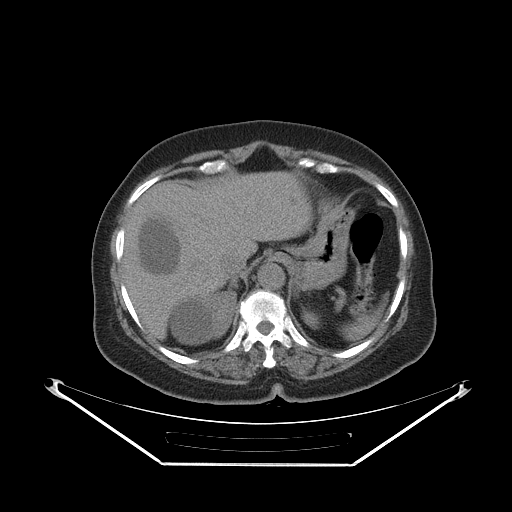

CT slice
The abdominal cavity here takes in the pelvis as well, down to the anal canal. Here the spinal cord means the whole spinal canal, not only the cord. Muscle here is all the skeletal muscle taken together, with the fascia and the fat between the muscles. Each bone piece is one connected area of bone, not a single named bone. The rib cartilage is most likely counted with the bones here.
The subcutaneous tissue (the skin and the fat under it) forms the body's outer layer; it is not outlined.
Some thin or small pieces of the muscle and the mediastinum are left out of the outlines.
{"spinal_cord":[[[263,321],[267,321],[268,322],[269,322],[270,323],[271,323],[272,324],[272,328],[270,330],[270,331],[267,334],[263,334],[262,333],[261,333],[257,329],[257,326],[259,324],[259,323],[260,323],[261,322],[262,322]]],"muscle":[[[256,140],[318,150],[370,170],[390,186],[409,220],[414,256],[407,319],[400,330],[365,358],[332,375],[305,381],[273,368],[277,363],[273,343],[277,341],[289,349],[293,342],[305,348],[313,342],[321,348],[337,350],[331,355],[338,359],[353,357],[364,350],[375,340],[372,335],[391,318],[402,299],[406,279],[400,278],[399,272],[401,258],[407,257],[408,239],[404,229],[398,226],[390,205],[396,208],[397,198],[387,187],[376,181],[372,185],[357,175],[344,172],[350,171],[349,168],[328,161],[318,162],[303,156],[292,165],[270,148],[261,147],[232,165],[217,158],[199,164],[198,171],[163,178],[157,174],[142,182],[126,202],[131,207],[125,227],[116,232],[114,248],[116,260],[121,260],[120,293],[133,321],[160,344],[156,348],[161,353],[184,365],[199,361],[189,356],[224,345],[224,353],[241,345],[243,351],[248,352],[259,342],[264,351],[262,366],[265,368],[248,383],[219,383],[180,372],[126,335],[117,318],[110,278],[110,240],[113,221],[134,187],[157,168],[191,154],[234,148]]],"abdominal_cavity":[[[261,148],[288,165],[309,169],[335,190],[371,188],[390,204],[400,262],[384,321],[351,347],[317,345],[288,313],[286,268],[264,259],[249,276],[239,320],[227,343],[188,356],[169,349],[146,331],[124,283],[124,234],[132,205],[164,178],[221,172]]],"mediastinum":[[[264,260],[275,260],[281,263],[285,268],[285,271],[287,274],[287,287],[285,290],[285,297],[284,298],[276,292],[263,288],[255,289],[251,291],[246,296],[246,291],[248,287],[248,282],[250,279],[250,276],[252,274],[254,268],[258,264],[263,262]],[[310,169],[320,174],[333,174],[334,173],[339,173],[340,172],[352,174],[359,177],[362,180],[373,186],[383,196],[383,197],[371,187],[360,187],[356,189],[335,189],[329,186],[327,183],[322,181],[322,180],[318,177],[316,177],[313,175]]],"torso":[[[255,119],[322,126],[363,142],[392,168],[419,210],[432,254],[435,334],[418,360],[371,388],[307,403],[290,403],[277,395],[267,403],[256,405],[196,403],[144,385],[114,367],[96,345],[92,244],[101,213],[115,189],[138,158],[159,141],[197,127]]],"bones":[{"outer":[[258,289],[271,291],[283,299],[295,327],[310,344],[309,347],[305,347],[293,341],[287,348],[275,340],[272,343],[272,356],[276,363],[272,368],[263,366],[265,351],[259,341],[248,351],[244,351],[241,344],[228,352],[223,351],[237,329],[240,302]],"hole":[[263,321],[267,321],[268,322],[269,322],[270,323],[271,323],[272,324],[272,328],[270,330],[270,331],[267,334],[263,334],[262,333],[261,333],[257,329],[257,326],[259,324],[259,323],[260,323],[261,322],[262,322]]},[[303,157],[313,159],[318,163],[328,162],[334,165],[336,165],[341,168],[349,169],[350,170],[343,170],[339,172],[334,172],[333,173],[320,173],[316,171],[314,167],[307,168],[306,167],[298,166],[297,165],[298,160],[300,158],[302,158]],[[217,159],[222,159],[223,160],[225,160],[227,162],[229,167],[228,167],[221,171],[218,171],[217,172],[214,172],[213,173],[205,173],[202,171],[199,171],[197,169],[197,167],[202,163],[203,163],[206,161],[211,161],[212,160],[216,160]],[[371,336],[374,338],[374,340],[364,349],[363,349],[361,351],[360,351],[353,356],[351,356],[350,357],[346,357],[345,358],[338,358],[332,355],[333,353],[335,353],[339,351],[342,351],[343,350],[351,348],[361,343],[363,341],[364,341]],[[158,345],[161,345],[167,348],[169,350],[171,350],[181,355],[187,356],[188,357],[194,358],[195,359],[198,359],[198,361],[196,363],[191,363],[190,364],[184,364],[183,363],[177,362],[166,356],[162,352],[161,352],[157,348],[157,346]],[[402,277],[404,277],[405,279],[405,283],[404,284],[404,290],[403,291],[401,299],[399,302],[398,306],[396,308],[393,314],[387,321],[385,321],[385,319],[389,312],[389,308],[390,307],[390,305],[394,298],[395,292],[398,286],[398,283],[400,279]],[[157,175],[160,175],[161,176],[161,178],[159,180],[153,183],[147,189],[146,189],[137,198],[137,199],[136,199],[135,201],[133,202],[133,203],[131,205],[128,206],[127,205],[127,202],[130,196],[132,194],[132,193],[142,183],[143,183],[145,181]],[[122,283],[123,283],[125,286],[125,288],[127,291],[127,294],[133,306],[133,308],[135,311],[135,313],[137,315],[137,317],[140,323],[142,325],[144,330],[142,330],[134,321],[125,304],[125,302],[123,299],[123,297],[121,293],[121,284]],[[376,182],[377,183],[379,183],[380,184],[381,184],[383,186],[384,186],[386,188],[387,188],[393,194],[393,195],[396,198],[396,200],[397,201],[397,206],[396,207],[393,206],[384,197],[384,196],[375,187],[375,186],[374,185],[374,183],[375,183]],[[121,228],[123,228],[124,229],[124,233],[123,234],[123,252],[122,253],[122,255],[121,256],[121,259],[119,261],[118,261],[117,260],[117,258],[116,257],[116,249],[115,248],[115,242],[116,241],[116,237],[117,236],[117,232]],[[399,226],[400,226],[403,229],[403,230],[405,233],[405,235],[406,236],[406,238],[407,239],[407,253],[406,254],[406,257],[405,258],[405,259],[403,259],[401,257],[401,255],[400,254],[400,244],[399,243],[399,234],[398,233],[398,227]]]}